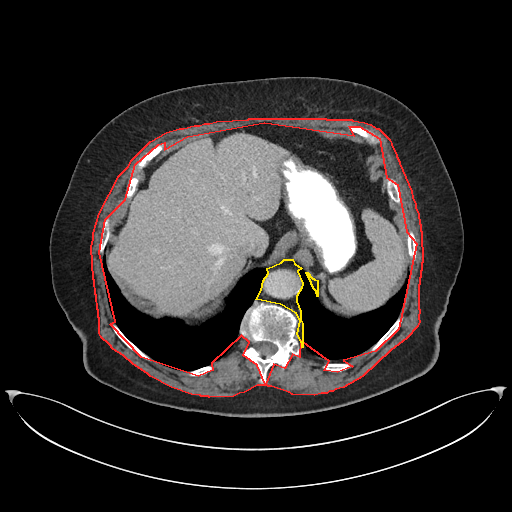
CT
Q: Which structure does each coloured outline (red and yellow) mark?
A: red: muscle; yellow: mediastinum.
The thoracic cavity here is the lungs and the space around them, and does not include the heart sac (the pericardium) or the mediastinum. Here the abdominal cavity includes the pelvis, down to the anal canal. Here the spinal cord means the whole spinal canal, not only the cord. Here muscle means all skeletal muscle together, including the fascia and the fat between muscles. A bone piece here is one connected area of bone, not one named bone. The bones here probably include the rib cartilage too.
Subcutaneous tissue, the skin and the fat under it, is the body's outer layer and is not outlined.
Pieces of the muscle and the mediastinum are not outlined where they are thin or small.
The muscle is outlined by 249,118 325,118 326,119 351,119 352,120 364,122 370,124 376,128 378,128 389,139 391,143 391,145 396,154 396,156 399,161 399,163 411,191 412,197 415,204 415,207 418,214 419,223 420,224 420,230 421,231 422,262 421,263 421,270 420,271 420,277 419,278 419,284 418,285 418,308 419,309 418,318 419,321 417,326 406,338 390,350 362,376 343,387 335,389 332,391 329,391 326,393 321,393 314,395 292,394 289,392 271,386 268,386 267,385 257,385 244,392 239,393 233,396 209,397 208,396 201,396 200,395 191,394 171,387 150,376 147,373 133,364 123,355 113,349 109,344 101,337 99,333 99,318 98,317 98,310 97,309 96,295 95,294 94,280 93,279 91,246 93,239 93,233 99,213 119,175 128,166 132,159 150,141 166,132 179,128 183,128 194,125 199,125 204,123 209,123 216,121 248,119 with a hole at 264,122 354,135 349,126 359,126 379,138 386,177 397,184 406,231 416,243 398,329 375,351 343,360 352,366 337,372 324,370 329,361 300,340 299,357 292,354 284,368 273,364 265,384 257,365 243,355 249,342 241,335 211,363 212,370 198,376 141,357 110,324 115,321 99,252 105,219 125,199 135,164 158,144 164,142 164,149 187,136. The mediastinum appears in 2 outlined pieces: piece 1: 284,259 292,259 294,263 301,268 297,271 302,283 301,288 296,296 296,301 300,311 300,319 302,323 302,347 302,343 297,334 300,320 296,313 280,304 256,299 261,290 263,280 268,273 267,268 281,262; piece 2: 306,272 307,272 309,274 309,275 312,278 313,278 314,279 317,280 317,296 317,294 316,293 316,291 313,288 313,287 311,284 311,282 310,281 310,280 309,279 309,278 308,277 308,276 307,275. The abdominal cavity is outlined by 264,122 339,130 379,146 387,170 386,191 405,216 409,275 400,289 380,307 342,317 321,303 318,280 292,258 284,258 246,273 223,309 197,325 138,310 112,278 104,253 111,219 136,191 142,169 187,136. The spinal cord is outlined by 262,341 263,341 264,342 270,342 271,343 274,344 277,347 277,349 276,350 276,351 272,354 267,354 264,356 261,355 260,352 256,349 256,348 254,346 254,345 257,342 261,342. The bones appear in 10 outlined pieces: piece 1: 255,300 280,305 295,313 299,320 296,330 300,345 299,357 292,354 289,363 284,368 279,364 273,364 267,371 267,382 265,384 259,382 260,372 257,365 243,355 242,352 249,345 249,342 239,334 242,318, around a hole outlined by 262,341 263,341 264,342 270,342 271,343 274,344 277,347 277,349 276,350 276,351 272,354 267,354 264,356 261,355 260,352 256,349 256,348 254,346 254,345 257,342 261,342; piece 2: 162,142 164,142 165,143 165,145 163,148 161,149 138,173 138,178 137,179 136,189 129,199 125,199 124,194 125,193 125,189 126,188 128,180 130,177 134,174 132,171 133,167 146,152 151,150 155,146; piece 3: 401,314 403,316 402,321 399,325 399,327 398,328 398,329 394,333 394,334 384,344 383,344 378,349 377,349 373,352 372,351 370,351 369,350 369,349 389,329 389,328 396,320 396,319 398,317 398,316; piece 4: 111,322 114,322 117,325 117,326 120,329 120,330 124,334 124,335 139,349 140,349 145,354 146,354 149,357 150,357 151,358 151,360 147,360 141,357 131,349 130,349 117,336 110,324; piece 5: 349,126 359,126 360,127 362,127 363,128 368,129 374,134 375,134 379,138 380,141 377,144 374,142 373,142 370,144 369,143 369,142 365,138 364,138 360,135 349,130 349,129 348,128 349,127; piece 6: 108,216 110,217 110,221 108,224 108,228 110,232 109,233 109,236 108,237 106,245 103,251 103,254 101,254 99,252 99,242 100,241 100,236 101,235 101,231 102,230 102,227 103,226 104,221; piece 7: 328,362 350,362 352,364 352,366 351,367 350,367 349,368 348,368 347,369 346,369 345,370 342,370 341,371 338,371 337,372 330,372 329,371 327,371 326,370 324,370 322,368 322,365 324,363 327,363; piece 8: 388,178 392,178 395,180 395,181 397,184 397,187 398,188 398,190 399,191 399,193 400,194 400,202 399,202 394,199 393,199 392,200 391,199 391,198 390,197 390,196 387,191 387,182 388,181; piece 9: 409,230 411,230 413,232 413,233 414,234 414,236 415,237 415,242 416,243 416,258 415,259 415,260 412,260 411,259 411,258 409,255 409,253 408,252 408,246 407,245 408,236 407,235 407,232; piece 10: 211,364 213,365 213,369 205,374 203,374 202,375 199,375 198,376 190,376 187,374 188,371 190,371 191,370 194,370 195,369 197,369 198,368 200,368 201,367 203,367 207,365 210,365. The torso is outlined by 280,76 337,78 374,87 407,105 430,132 452,180 464,231 461,266 439,326 436,362 421,376 367,399 275,417 185,411 98,381 84,368 81,341 56,299 49,256 53,221 82,150 114,116 156,94 198,84. The thoracic cavity appears in 2 outlined pieces: piece 1: 103,256 111,278 123,297 134,308 154,319 178,319 187,326 197,326 221,312 238,282 250,271 266,268 267,273 258,294 241,318 239,335 230,349 210,364 182,370 165,365 149,356 130,340 115,322 106,293; piece 2: 300,269 305,272 321,305 334,314 346,319 350,319 380,308 401,289 408,278 408,282 399,314 388,329 369,348 361,353 342,361 329,361 310,353 303,347 303,323 297,301 297,296 303,283 298,273.